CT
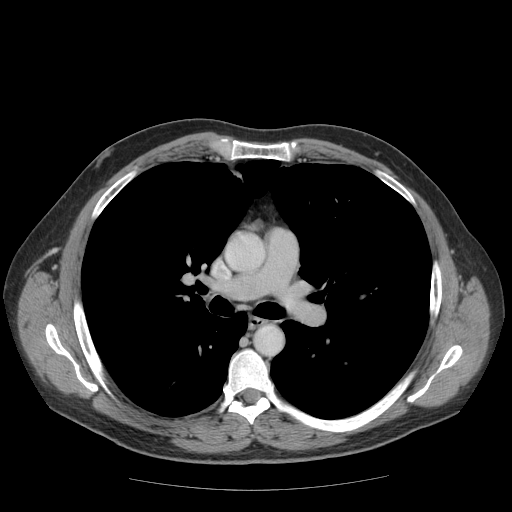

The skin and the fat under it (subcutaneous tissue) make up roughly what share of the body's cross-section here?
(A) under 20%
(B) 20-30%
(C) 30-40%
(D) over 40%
Answer: (A) under 20%
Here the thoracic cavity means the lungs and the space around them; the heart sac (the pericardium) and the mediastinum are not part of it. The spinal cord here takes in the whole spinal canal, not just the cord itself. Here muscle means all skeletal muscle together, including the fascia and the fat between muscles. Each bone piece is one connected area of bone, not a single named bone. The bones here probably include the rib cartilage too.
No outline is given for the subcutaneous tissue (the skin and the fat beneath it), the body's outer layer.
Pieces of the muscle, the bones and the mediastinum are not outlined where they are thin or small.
The muscle is outlined by 205 131; 237 138; 211 138; 206 145; 210 155; 191 154; 141 172; 134 165; 102 193; 91 211; 72 320; 87 364; 105 392; 117 400; 108 374; 131 402; 158 416; 179 418; 216 406; 218 414; 236 413; 252 425; 273 406; 311 428; 343 433; 376 419; 407 389; 417 373; 416 368; 408 369; 440 311; 439 262; 432 259; 409 190; 377 167; 371 172; 349 163; 298 159; 304 147; 294 138; 315 138; 387 166; 433 211; 462 279; 474 275; 480 280; 490 308; 488 348; 480 368; 457 395; 331 446; 286 450; 254 440; 237 451; 198 453; 44 384; 23 349; 16 321; 30 270; 37 267; 57 275; 79 212; 122 167; 158 145; inner edges: 48 323; 53 324; 55 327; 60 342; 79 365; 79 371; 81 375; 86 380; 95 383; 98 385; 98 389; 97 391; 95 392; 91 392; 77 378; 74 367; 69 359; 66 356; 57 353; 48 344; 45 336; 45 327, then 455 344; 458 344; 462 348; 462 353; 460 357; 451 366; 442 369; 432 379; 428 388; 423 394; 416 398; 414 401; 412 402; 408 402; 406 400; 407 397; 419 390; 426 383; 428 378; 438 368; 440 362; 443 358; 445 353; 451 346. The pericardium is outlined by 271 218; 274 218; 286 225; 295 234; 301 246; 300 260; 301 265; 292 284; 289 284; 286 281; 280 280; 271 275; 245 274; 232 271; 228 264; 219 255; 219 253; 223 251; 223 245; 226 238; 237 226; 252 219; 262 223. The torso is outlined by 194 117; 256 128; 307 123; 355 128; 398 148; 442 190; 495 265; 505 304; 502 325; 489 361; 454 416; 384 446; 343 457; 287 464; 207 465; 132 452; 49 407; 22 361; 8 322; 3 285; 11 260; 33 227; 102 150; 143 128. The mediastinum appears in 3 outlined pieces: piece 1: 218 255; 232 272; 240 274; 271 276; 289 285; 295 282; 298 274; 298 307; 291 318; 280 323; 285 334; 285 345; 269 367; 252 348; 237 351; 240 338; 247 329; 246 313; 236 312; 234 305; 223 296; 209 295; 207 278; 210 266; piece 2: 268 190; 270 192; 271 198; 276 210; 286 224; 274 217; 271 217; 262 222; 260 222; 256 219; 252 218; 251 219; 246 220; 243 223; 238 225; 238 224; 242 220; 246 214; 247 210; 252 204; 253 200; 256 198; 259 198; 263 196; piece 3: 191 155; 195 155; 196 156; 214 156; 216 155; 218 156; 220 159; 223 159; 224 160; 241 160; 242 159; 249 159; 245 162; 239 163; 236 165; 229 167; 224 162; 221 161; 218 161; 215 163; 194 163; 189 161; 188 159; 189 156. The thoracic cavity is outlined by 186 157; 229 168; 349 164; 414 208; 432 260; 428 326; 380 399; 329 419; 277 391; 270 366; 286 345; 281 323; 299 307; 302 246; 268 189; 206 278; 209 297; 247 319; 217 405; 168 417; 121 391; 84 311; 87 241; 130 181. The bones appear in 8 outlined pieces: piece 1: 247 348; 256 352; 267 365; 269 376; 282 398; 321 419; 341 419; 358 414; 380 400; 409 370; 416 369; 416 373; 386 410; 350 431; 333 432; 311 427; 280 412; 273 405; 251 424; 236 412; 216 411; 223 397; 230 360; 233 354 with a hole at 247 388; 252 388; 253 389; 255 389; 258 392; 258 393; 259 394; 259 396; 258 397; 258 398; 257 399; 257 400; 254 403; 253 403; 252 404; 246 404; 241 399; 241 398; 240 397; 240 393; 243 390; 244 390; 245 389; 246 389; piece 2: 219 137; 227 137; 231 140; 237 139; 260 144; 279 143; 283 141; 289 142; 294 139; 298 139; 299 143; 303 147; 303 151; 297 156; 297 159; 290 162; 268 158; 224 159; 220 158; 216 154; 211 155; 214 154; 207 145; 211 139; piece 3: 77 296; 81 297; 83 311; 84 312; 90 337; 92 340; 93 345; 99 356; 99 358; 107 373; 107 377; 108 378; 107 384; 115 396; 116 400; 112 398; 100 385; 99 382; 93 374; 81 348; 73 320; 73 301; 75 297; piece 4: 48 323; 53 324; 55 327; 60 342; 79 365; 79 371; 81 375; 86 380; 95 383; 98 385; 98 389; 97 391; 95 392; 91 392; 77 378; 74 367; 69 359; 66 356; 57 353; 48 344; 45 336; 45 327; piece 5: 134 166; 138 166; 139 168; 139 173; 131 180; 130 180; 112 198; 112 199; 106 205; 95 220; 94 221; 92 221; 91 219; 91 214; 92 213; 92 211; 97 201; 100 198; 103 193; 120 177; 131 170; 134 167; piece 6: 434 259; 437 260; 441 271; 441 285; 442 287; 441 288; 441 302; 439 306; 439 311; 436 318; 434 320; 433 325; 430 326; 429 325; 429 320; 430 319; 430 316; 429 315; 429 302; 430 301; 430 290; 431 289; 432 261; piece 7: 455 344; 458 344; 462 348; 462 353; 460 357; 451 366; 442 369; 432 379; 428 388; 423 394; 416 398; 414 401; 412 402; 408 402; 406 400; 407 397; 419 390; 426 383; 428 378; 438 368; 440 362; 443 358; 445 353; 451 346; piece 8: 376 168; 380 169; 382 171; 384 171; 393 177; 396 180; 400 182; 408 190; 408 191; 413 197; 417 205; 417 211; 417 210; 415 209; 415 208; 407 200; 406 200; 395 190; 394 190; 391 187; 382 181; 373 173; 373 170. The spinal cord is outlined by 247 388; 252 388; 253 389; 255 389; 258 392; 258 393; 259 394; 259 396; 258 397; 258 398; 257 399; 257 400; 254 403; 253 403; 252 404; 246 404; 241 399; 241 398; 240 397; 240 393; 243 390; 244 390; 245 389; 246 389.